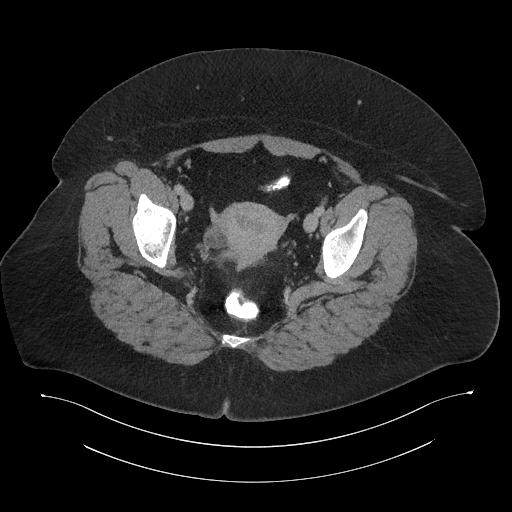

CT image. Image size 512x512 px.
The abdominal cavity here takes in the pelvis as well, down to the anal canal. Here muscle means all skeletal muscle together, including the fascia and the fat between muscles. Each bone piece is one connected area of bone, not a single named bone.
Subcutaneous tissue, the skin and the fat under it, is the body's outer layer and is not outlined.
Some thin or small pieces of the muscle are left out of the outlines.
Outlines:
muscle: (258, 133) (330, 150) (411, 204) (418, 247) (410, 288) (373, 335) (331, 364) (275, 371) (235, 348) (284, 315) (321, 255) (330, 279) (351, 267) (368, 211) (360, 207) (321, 239) (322, 216) (355, 186) (327, 154) (274, 155) (261, 141) (241, 152) (214, 152) (197, 147) (178, 156) (163, 174) (177, 219) (143, 191) (131, 229) (140, 255) (161, 269) (175, 238) (200, 313) (231, 348) (191, 365) (135, 351) (94, 314) (77, 265) (86, 180) (120, 158) (145, 164) (194, 143)
abdominal cavity: (258, 142) (274, 156) (310, 159) (325, 154) (354, 186) (321, 216) (318, 233) (322, 241) (315, 277) (289, 294) (283, 315) (257, 333) (227, 333) (213, 328) (201, 313) (192, 275) (177, 261) (175, 234) (179, 202) (164, 174) (188, 151) (199, 148) (214, 153) (241, 153)
bones 1: (143, 192) (145, 193) (154, 203) (169, 208) (173, 212) (176, 217) (176, 227) (175, 228) (174, 237) (169, 247) (167, 259) (166, 260) (166, 264) (165, 266) (162, 268) (158, 267) (156, 265) (151, 263) (141, 255) (132, 229) (132, 219) (136, 212) (138, 196) (140, 193)
bones 2: (360, 208) (363, 208) (367, 211) (367, 222) (363, 233) (363, 239) (362, 240) (362, 243) (360, 249) (352, 264) (346, 271) (337, 277) (330, 278) (326, 275) (323, 268) (323, 259) (321, 254) (323, 239) (326, 234) (332, 229) (338, 227) (341, 227) (345, 225)
bones 3: (223, 333) (226, 333) (227, 334) (236, 334) (237, 335) (243, 335) (244, 336) (251, 336) (252, 337) (255, 337) (259, 335) (262, 335) (263, 336) (257, 340) (242, 343) (237, 347) (232, 348) (227, 344) (222, 344) (221, 343) (221, 336)
torso: (234, 47) (308, 49) (355, 61) (410, 89) (457, 134) (478, 170) (486, 207) (483, 224) (464, 233) (489, 262) (500, 302) (495, 337) (481, 356) (348, 406) (257, 422) (167, 410) (24, 363) (0, 259) (57, 184) (51, 160) (65, 133) (96, 99) (136, 73) (184, 53)